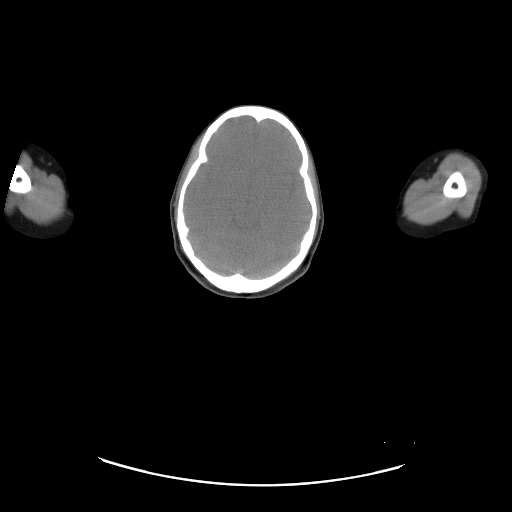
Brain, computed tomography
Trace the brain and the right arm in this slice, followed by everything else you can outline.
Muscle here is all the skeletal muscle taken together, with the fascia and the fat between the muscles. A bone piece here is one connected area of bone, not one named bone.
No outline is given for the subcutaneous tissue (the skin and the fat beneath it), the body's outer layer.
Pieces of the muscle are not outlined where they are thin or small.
Outlines (x, y in pixels):
brain: 242,116 249,116 257,123 273,120 289,132 300,154 297,172 310,208 308,225 296,253 276,271 262,277 248,277 239,272 222,274 210,268 195,253 184,213 188,186 200,166 209,159 206,148 210,139 227,120
right arm: 27,141 35,142 47,149 58,160 65,172 67,184 70,190 70,201 76,210 76,220 71,230 64,236 57,239 36,240 22,237 13,231 3,220 4,206 6,202 10,181 15,167 18,163 20,154
left arm: 448,146 459,146 473,152 481,159 488,171 488,186 485,194 483,196 477,218 474,223 470,226 450,231 433,239 422,240 408,237 398,230 393,219 393,211 398,199 399,191 408,178 412,170 422,159 432,152
bones 1: 242,105 259,105 275,109 287,116 297,128 308,150 307,172 317,208 313,240 303,261 297,269 284,279 269,288 256,292 226,291 210,283 184,253 176,228 181,188 192,163 198,156 198,149 205,130 223,112 with a hole at 242,116 249,116 257,123 273,120 289,132 300,154 297,172 310,208 308,225 296,253 276,271 262,277 248,277 239,272 222,274 210,268 195,253 184,213 188,186 200,166 209,159 206,148 210,139 227,120
bones 2: 454,171 459,171 462,174 465,180 465,183 466,184 466,188 467,190 466,191 466,193 462,197 460,197 459,198 448,198 446,197 443,194 443,191 442,190 443,189 443,185 445,181 447,179 447,178
bones 3: 18,163 22,166 22,167 28,175 31,181 31,184 32,185 32,189 29,192 27,192 26,193 17,193 16,192 12,192 9,190 9,185 10,184 10,181 13,175 13,173 14,172 15,167
muscle 1: 449,152 459,152 466,156 468,156 476,163 478,168 480,170 482,176 482,182 471,215 468,218 459,218 458,219 454,219 430,225 421,225 407,220 402,215 403,200 407,189 412,182 419,178 439,156; inner edge: 454,171 459,171 462,174 465,180 465,183 466,184 466,188 467,190 466,191 466,193 462,197 460,197 459,198 448,198 446,197 443,194 443,191 442,190 443,189 443,185 445,181 447,179 447,178
muscle 2: 23,149 25,149 44,166 56,174 60,178 63,184 65,191 66,212 61,218 56,220 50,225 29,225 14,218 4,206 6,202 8,190 12,193 26,194 33,189 32,181 29,175 23,166 18,162 20,154
muscle 3: 201,136 201,139 197,149 197,156 191,163 180,188 178,200 177,201 177,206 176,207 175,221 174,218 174,200 175,199 175,194 177,190 177,186 185,165 187,163 187,161 191,154 191,152 195,144
muscle 4: 309,153 314,170 315,178 316,179 317,189 318,190 318,197 319,198 319,204 320,205 320,218 318,222 317,231 314,239 315,230 316,229 316,221 317,220 318,208 317,207 313,184 308,172 308,169 309,168
head: 238,104 260,104 281,110 297,124 313,154 321,186 324,208 324,224 321,237 307,271 295,282 279,292 251,300 231,299 217,295 206,290 192,278 174,251 169,217 169,201 172,190 192,142 200,131 218,114